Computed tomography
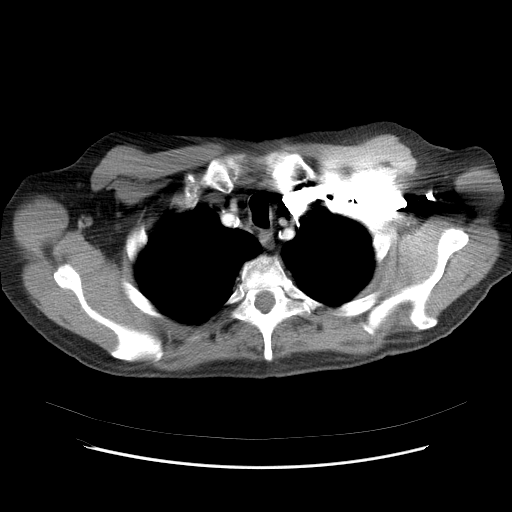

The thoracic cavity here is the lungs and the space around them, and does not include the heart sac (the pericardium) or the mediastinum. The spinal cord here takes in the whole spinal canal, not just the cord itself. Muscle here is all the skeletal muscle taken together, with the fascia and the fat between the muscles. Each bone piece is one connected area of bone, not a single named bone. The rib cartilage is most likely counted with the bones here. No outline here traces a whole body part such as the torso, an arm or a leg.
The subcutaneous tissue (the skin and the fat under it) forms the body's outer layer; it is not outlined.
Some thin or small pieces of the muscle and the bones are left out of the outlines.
{"muscle":[[[386,133],[409,147],[427,175],[425,187],[431,194],[449,196],[456,175],[483,164],[493,170],[500,186],[492,223],[502,243],[500,255],[438,319],[427,313],[426,303],[469,234],[461,227],[444,228],[434,267],[421,281],[380,300],[380,289],[356,296],[371,284],[390,237],[379,231],[372,237],[362,224],[342,215],[357,212],[349,202],[338,200],[343,181],[337,171],[318,173],[299,153],[277,150],[251,159],[242,153],[215,157],[198,179],[186,173],[181,211],[166,210],[148,233],[141,224],[127,234],[124,248],[134,263],[137,287],[124,277],[120,281],[132,304],[155,318],[200,324],[232,306],[230,320],[249,323],[261,334],[265,360],[216,360],[177,371],[137,367],[128,362],[162,357],[162,341],[92,308],[80,274],[69,263],[60,264],[52,277],[60,288],[73,292],[91,319],[115,334],[117,342],[109,353],[49,319],[22,285],[12,227],[19,205],[43,194],[100,225],[117,221],[114,192],[93,191],[90,185],[94,168],[116,145],[154,153],[211,142],[230,151],[261,153],[283,142],[352,145]],[[404,303],[411,306],[410,322],[423,330],[418,339],[388,343],[367,355],[319,351],[294,353],[272,361],[272,334],[278,324],[292,316],[307,319],[313,311],[325,305],[333,307],[328,311],[337,317],[354,317],[368,312],[359,324],[374,335],[386,317]],[[250,166],[257,166],[258,167],[261,167],[263,168],[265,172],[268,174],[270,177],[270,180],[268,181],[270,185],[266,184],[263,182],[253,182],[249,184],[245,184],[244,185],[236,186],[234,188],[234,182],[238,179],[240,174],[249,168]],[[309,181],[310,181],[311,182],[317,182],[316,183],[317,184],[317,185],[319,188],[319,196],[318,197],[318,198],[318,197],[317,196],[317,195],[313,191],[312,191],[309,188],[308,188],[305,186],[303,186],[300,184],[302,184],[303,183],[306,183]],[[200,186],[203,186],[204,187],[208,187],[209,188],[210,188],[211,189],[213,189],[212,189],[211,190],[210,190],[209,191],[209,192],[207,194],[207,195],[203,199],[202,199],[201,200],[200,200],[199,201],[199,189],[200,188]]],"spinal_cord":[[[263,291],[267,291],[271,293],[274,299],[274,303],[273,305],[271,307],[271,308],[267,312],[265,313],[262,312],[258,308],[257,308],[255,305],[255,301],[256,300],[256,297],[257,295],[259,293]]],"thoracic_cavity":[[[198,202],[205,203],[213,208],[224,226],[229,228],[240,228],[252,234],[261,245],[263,253],[246,260],[242,264],[232,292],[218,311],[200,323],[184,323],[159,311],[138,288],[134,264],[139,253],[148,242],[148,234],[166,211],[181,212],[193,209]],[[317,199],[320,199],[323,205],[331,213],[341,215],[362,225],[371,237],[371,246],[375,262],[371,279],[367,285],[353,298],[336,306],[326,305],[311,297],[299,288],[287,274],[280,255],[283,243],[291,240],[299,228],[300,217],[311,208],[312,203]]],"bones":[[[274,151],[299,154],[318,174],[337,172],[342,181],[337,200],[349,203],[355,215],[331,212],[319,198],[317,181],[276,188],[257,165],[240,173],[227,193],[200,185],[194,207],[182,210],[186,174],[198,180],[215,158],[242,154],[251,160]],{"outer":[[261,254],[275,255],[281,260],[286,274],[293,283],[305,294],[324,304],[323,307],[313,310],[307,318],[292,315],[276,325],[271,334],[271,361],[264,358],[263,336],[258,328],[243,320],[230,319],[229,311],[233,306],[224,304],[238,282],[243,264]],"hole":[[263,291],[267,291],[271,293],[274,299],[274,303],[273,305],[271,307],[271,308],[267,312],[265,313],[262,312],[258,308],[257,308],[255,305],[255,301],[256,300],[256,297],[257,295],[259,293]]},[[450,227],[461,228],[468,241],[449,257],[425,303],[426,313],[437,318],[434,326],[418,329],[409,319],[409,302],[395,307],[374,334],[360,324],[367,319],[368,311],[354,316],[329,311],[377,290],[381,291],[380,301],[426,279],[436,264],[439,238]],[[65,263],[69,264],[79,274],[84,298],[92,309],[116,323],[137,330],[145,330],[161,341],[163,353],[158,360],[143,358],[128,361],[110,354],[118,342],[116,334],[105,325],[91,318],[82,308],[74,292],[60,287],[53,277],[53,273],[57,268]],[[123,278],[124,278],[128,282],[136,287],[151,302],[151,303],[156,308],[156,309],[163,315],[163,317],[155,317],[154,316],[149,315],[146,313],[144,313],[142,312],[135,305],[134,305],[128,298],[127,295],[124,291],[124,289],[121,283],[121,281]],[[141,225],[143,225],[144,226],[145,231],[147,233],[147,235],[148,236],[147,242],[144,246],[144,247],[138,253],[135,261],[134,262],[131,262],[128,258],[127,252],[125,248],[126,239],[127,238],[128,234],[132,229],[136,227],[138,227]],[[377,232],[379,232],[384,235],[386,235],[388,236],[390,240],[390,245],[387,251],[387,253],[382,259],[382,260],[379,263],[377,264],[374,258],[374,250],[372,246],[372,238]]],"mediastinum":[[[253,183],[263,183],[276,189],[300,185],[309,189],[317,197],[310,208],[299,217],[299,225],[293,237],[282,243],[280,258],[275,254],[264,253],[262,245],[252,233],[240,227],[224,225],[218,212],[207,203],[200,201],[212,190],[227,194],[236,187]]]}